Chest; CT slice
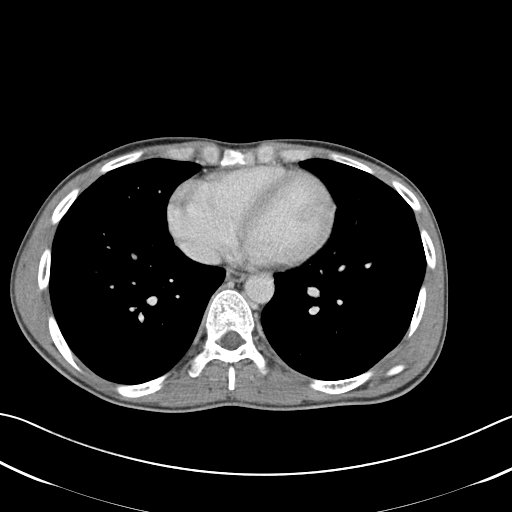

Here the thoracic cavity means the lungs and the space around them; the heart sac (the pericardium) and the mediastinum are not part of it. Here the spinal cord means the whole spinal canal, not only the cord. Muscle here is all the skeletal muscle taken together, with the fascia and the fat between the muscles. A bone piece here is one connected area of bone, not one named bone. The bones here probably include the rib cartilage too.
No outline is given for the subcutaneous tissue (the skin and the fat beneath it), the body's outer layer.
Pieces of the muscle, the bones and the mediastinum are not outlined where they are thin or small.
The mediastinum is outlined by [[324,246],[319,255],[303,269],[290,275],[275,277],[273,296],[260,315],[258,311],[252,311],[250,304],[236,289],[220,290],[207,312],[204,333],[198,331],[210,298],[222,283],[226,273],[223,267],[202,263],[220,263],[254,274],[273,275],[303,265]]. The torso is outlined by [[177,135],[230,142],[271,138],[331,141],[374,156],[411,179],[435,215],[447,258],[447,329],[428,375],[403,395],[373,404],[298,410],[227,405],[169,413],[103,400],[44,360],[22,333],[9,296],[13,260],[37,210],[60,180],[88,160],[127,142]]. The spinal cord is outlined by [[228,331],[234,331],[236,332],[241,337],[241,338],[244,341],[244,342],[240,344],[237,347],[233,349],[229,349],[228,348],[223,347],[221,345],[220,345],[218,343],[218,341],[219,341],[220,339],[223,336],[223,335],[224,335]]. The thoracic cavity appears in 2 outlined pieces: piece 1: [[153,158],[192,161],[199,165],[199,169],[170,194],[165,212],[167,229],[174,245],[188,258],[223,268],[225,273],[209,298],[186,353],[167,372],[154,378],[118,383],[100,376],[78,358],[61,331],[49,288],[52,248],[60,221],[84,190],[112,170]]; piece 2: [[313,158],[327,159],[358,169],[390,186],[413,212],[425,259],[414,308],[401,339],[368,369],[339,379],[311,377],[290,366],[268,341],[261,320],[262,311],[274,296],[276,277],[290,276],[309,266],[332,235],[337,204],[323,180],[301,166],[302,161]]. The bones appear in 14 outlined pieces: piece 1: [[225,289],[236,290],[249,304],[255,323],[253,341],[264,357],[267,369],[267,372],[262,374],[247,357],[234,362],[235,386],[232,390],[228,388],[230,364],[219,359],[210,360],[196,377],[188,374],[191,359],[203,349],[204,326],[211,304],[216,295]] with a hole at [[228,331],[234,331],[236,332],[241,337],[241,338],[244,341],[244,342],[240,344],[237,347],[233,349],[229,349],[228,348],[223,347],[221,345],[220,345],[218,343],[218,341],[219,341],[220,339],[223,336],[223,335],[224,335]]; piece 2: [[266,145],[272,146],[275,151],[275,160],[269,162],[221,166],[218,164],[202,163],[200,161],[202,160],[200,156],[200,150],[205,146],[214,146],[221,153],[225,149],[230,148],[236,149],[242,153],[252,152],[255,154],[260,147]]; piece 3: [[372,367],[373,368],[373,374],[362,384],[348,391],[345,391],[341,393],[326,393],[323,391],[313,389],[309,385],[311,382],[312,378],[320,379],[321,380],[339,380],[340,379],[345,379],[346,378],[349,378],[350,377],[358,375],[368,370]]; piece 4: [[166,373],[167,373],[167,376],[164,379],[162,383],[162,387],[153,393],[149,393],[148,394],[142,395],[138,397],[127,397],[126,396],[121,395],[115,390],[115,387],[117,384],[138,384],[139,383],[143,383],[144,382],[149,381],[152,379],[154,379]]; piece 5: [[51,314],[53,314],[54,315],[64,339],[66,341],[70,349],[77,357],[77,358],[75,358],[74,360],[80,367],[81,371],[79,371],[74,368],[63,357],[61,353],[56,347],[50,335],[49,328],[48,327],[48,317],[49,315]]; piece 6: [[141,149],[144,150],[144,153],[141,158],[138,161],[132,162],[128,164],[125,164],[122,166],[120,166],[114,169],[112,169],[103,174],[102,174],[100,172],[99,170],[100,168],[108,161],[123,154],[129,153],[130,152],[136,151],[137,150],[140,150]]; piece 7: [[423,283],[426,287],[426,299],[425,300],[425,306],[423,310],[423,313],[422,314],[421,319],[414,332],[410,336],[407,336],[406,335],[406,332],[408,329],[408,327],[415,308],[415,305],[417,301],[417,297],[418,296],[418,293],[419,292],[420,287]]; piece 8: [[47,247],[51,248],[51,262],[50,263],[50,271],[49,272],[49,283],[48,284],[48,287],[47,288],[43,289],[42,290],[40,290],[38,286],[38,280],[37,279],[37,277],[38,276],[39,261],[40,260],[40,258],[43,251],[45,249],[45,248]]; piece 9: [[76,187],[80,189],[80,192],[79,194],[77,196],[75,200],[72,203],[72,204],[69,207],[67,211],[61,218],[59,222],[57,224],[53,224],[51,221],[51,216],[55,207],[58,204],[58,203],[61,200],[61,199],[65,195],[66,195],[72,189]]; piece 10: [[393,179],[403,184],[406,187],[407,187],[415,195],[415,196],[419,201],[419,203],[421,207],[419,211],[414,212],[411,208],[411,207],[405,201],[405,200],[390,185],[390,182],[391,180]]; piece 11: [[420,228],[423,228],[427,231],[427,232],[429,234],[432,240],[432,242],[434,246],[434,249],[435,250],[435,267],[433,269],[431,268],[428,268],[426,265],[426,259],[425,258],[425,253],[424,252],[423,245],[421,241],[420,232],[419,231],[419,229]]; piece 12: [[284,149],[304,149],[305,150],[311,150],[316,155],[317,155],[314,156],[312,158],[309,158],[305,160],[300,160],[299,161],[288,161],[287,162],[285,162],[283,161],[282,159],[279,156],[279,151],[281,150],[283,150]]; piece 13: [[330,152],[335,152],[342,155],[345,155],[355,160],[357,160],[371,168],[373,170],[374,174],[371,174],[368,172],[366,172],[363,170],[361,170],[358,168],[356,168],[346,164],[343,164],[339,162],[336,162],[333,160],[330,160],[327,158],[327,155]]; piece 14: [[181,147],[191,147],[194,149],[194,153],[193,154],[193,155],[191,158],[191,160],[176,160],[175,159],[170,159],[169,158],[162,158],[161,157],[160,157],[160,155],[165,150],[166,150],[169,148],[180,148]]. The muscle appears in 2 outlined pieces: piece 1: [[267,142],[322,147],[367,160],[403,179],[424,202],[441,246],[444,292],[439,340],[419,373],[370,397],[293,404],[227,397],[167,406],[120,399],[94,388],[35,339],[15,293],[24,248],[58,191],[78,174],[115,157],[99,168],[101,175],[85,189],[72,188],[54,207],[50,221],[58,225],[52,247],[45,247],[38,261],[37,286],[40,291],[49,289],[53,311],[47,317],[48,332],[74,369],[82,371],[75,360],[79,359],[117,383],[114,390],[123,397],[153,394],[198,332],[204,334],[202,349],[190,359],[187,374],[198,377],[214,359],[227,363],[227,388],[232,391],[234,363],[247,358],[262,375],[268,372],[254,341],[252,313],[258,312],[271,347],[290,367],[311,378],[308,385],[313,390],[341,394],[366,382],[374,374],[373,366],[405,334],[415,332],[424,313],[427,287],[422,282],[426,266],[436,267],[436,250],[428,231],[415,219],[420,201],[400,181],[393,178],[389,185],[367,164],[335,151],[320,158],[311,149],[284,148],[278,151],[281,160],[269,144],[255,153],[242,152],[237,149]] with a hole at [[399,364],[401,364],[402,365],[403,365],[404,366],[404,368],[401,371],[400,371],[398,373],[396,373],[395,374],[393,374],[392,375],[387,375],[387,371],[389,369],[390,369],[393,366],[395,366],[396,365],[398,365]]; piece 2: [[192,141],[207,141],[220,147],[227,148],[221,152],[214,145],[205,145],[199,150],[201,160],[199,161],[192,160],[195,149],[191,146],[169,147],[165,149],[159,155],[159,157],[143,160],[140,160],[144,155],[145,150],[142,148],[134,150],[151,145]]. The pericardium is outlined by [[273,161],[280,164],[300,166],[316,174],[325,184],[336,204],[331,235],[315,255],[297,267],[273,274],[260,274],[247,269],[233,268],[225,263],[196,261],[188,257],[176,246],[168,229],[166,212],[169,198],[179,184],[199,174],[204,169],[246,166]].